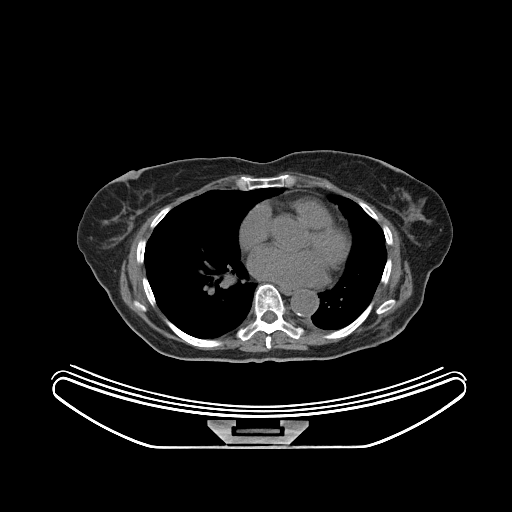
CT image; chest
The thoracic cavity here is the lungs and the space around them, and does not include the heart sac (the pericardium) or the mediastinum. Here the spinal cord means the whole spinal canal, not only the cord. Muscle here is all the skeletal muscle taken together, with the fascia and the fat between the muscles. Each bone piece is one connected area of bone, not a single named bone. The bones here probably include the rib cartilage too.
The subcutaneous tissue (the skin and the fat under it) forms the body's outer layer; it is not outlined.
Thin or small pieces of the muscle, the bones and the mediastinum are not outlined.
Outlines (x, y in pixels):
bones 1: [[266,283],[272,284],[277,289],[295,324],[300,325],[304,329],[304,332],[298,338],[290,337],[279,329],[273,331],[270,334],[270,349],[267,348],[265,343],[267,334],[262,330],[256,331],[246,340],[242,340],[235,335],[248,317],[253,305],[256,288]]; inner edge: [[267,311],[271,311],[272,312],[273,312],[275,314],[275,315],[276,316],[276,318],[273,321],[272,321],[271,322],[267,322],[266,321],[265,321],[262,318],[262,317],[263,316],[263,315]]
bones 2: [[283,174],[293,175],[296,177],[297,182],[295,185],[292,186],[283,186],[282,187],[272,186],[271,187],[263,187],[262,188],[253,188],[249,190],[242,190],[237,188],[235,185],[235,180],[242,175],[251,176],[252,177],[272,177],[273,176],[277,176]]
bones 3: [[165,317],[166,317],[179,329],[191,336],[193,336],[197,338],[200,338],[201,339],[219,339],[221,340],[223,342],[223,343],[221,345],[212,346],[211,347],[200,347],[199,346],[193,346],[189,344],[182,338],[178,336],[167,325],[164,320]]
bones 4: [[372,300],[373,301],[373,306],[369,314],[367,317],[350,334],[347,336],[345,336],[344,337],[340,337],[339,338],[325,338],[323,337],[323,335],[327,334],[334,330],[337,330],[338,329],[343,328],[355,320],[368,306]]
bones 5: [[144,276],[146,277],[149,283],[149,285],[151,288],[151,290],[153,293],[153,295],[154,296],[154,298],[156,302],[156,305],[155,306],[152,306],[150,304],[146,296],[146,294],[145,293],[145,291],[143,287],[143,283],[142,282],[142,278]]
bones 6: [[168,205],[170,205],[171,206],[171,207],[172,208],[163,217],[163,218],[154,227],[154,228],[153,229],[152,229],[150,227],[150,224],[151,223],[151,222],[152,221],[152,220],[155,217],[155,216],[164,207],[165,207],[166,206],[167,206]]
bones 7: [[143,238],[144,239],[146,239],[146,243],[145,244],[145,249],[144,250],[144,254],[143,255],[143,263],[141,264],[140,263],[138,263],[137,261],[137,259],[136,258],[136,251],[137,250],[137,245],[138,244],[138,242],[141,239]]
bones 8: [[387,258],[390,258],[391,259],[391,270],[390,271],[390,274],[389,275],[389,278],[388,279],[388,281],[387,283],[386,284],[383,284],[380,282],[380,280],[381,279],[381,277],[383,273],[383,270],[384,269],[384,267],[385,266],[385,264],[386,263]]
bones 9: [[389,299],[394,299],[395,300],[395,303],[394,304],[394,305],[389,310],[388,310],[385,312],[383,312],[380,314],[377,314],[376,313],[376,310],[377,309],[377,308],[382,303],[383,303],[385,301],[386,301]]
bones 10: [[359,200],[361,200],[362,201],[363,201],[365,203],[366,203],[374,211],[374,212],[377,215],[377,216],[378,217],[378,220],[377,221],[376,220],[375,220],[372,217],[371,217],[357,203],[357,202]]
bones 11: [[383,225],[386,225],[389,228],[389,229],[391,232],[391,235],[392,236],[392,240],[393,241],[393,242],[391,245],[387,245],[386,244],[386,241],[385,240],[385,236],[384,235],[384,233],[383,232],[383,230],[382,229],[382,226]]
bones 12: [[135,300],[136,300],[137,301],[138,301],[140,303],[141,303],[146,308],[146,310],[145,311],[143,311],[142,310],[141,310],[140,309],[139,309],[138,308],[137,308],[134,305],[134,301]]
pericardium: [[292,192],[313,192],[319,194],[335,205],[347,222],[351,234],[350,249],[341,273],[334,283],[330,286],[323,288],[296,286],[289,283],[280,283],[271,279],[256,277],[250,273],[242,259],[238,235],[240,224],[246,214],[256,204],[264,200],[278,198]]
muscle 1: [[285,171],[327,179],[372,204],[398,232],[400,255],[408,262],[413,288],[408,299],[387,318],[385,324],[379,323],[375,329],[351,334],[373,309],[373,297],[378,285],[386,285],[389,281],[392,259],[387,256],[386,245],[391,246],[394,242],[390,228],[386,224],[381,226],[378,223],[378,215],[363,200],[359,199],[356,202],[330,190],[331,184],[327,181],[316,181],[317,185],[296,185],[298,179],[295,175],[278,174]] with a hole at [[389,299],[394,299],[395,300],[395,303],[394,304],[394,305],[389,310],[388,310],[385,312],[383,312],[380,314],[377,314],[376,313],[376,310],[377,309],[377,308],[382,303],[383,303],[385,301],[386,301]]
muscle 2: [[161,207],[149,224],[152,231],[147,240],[143,237],[137,242],[135,258],[144,266],[145,275],[141,282],[149,304],[152,307],[157,305],[165,316],[166,325],[188,344],[167,338],[152,329],[124,303],[119,291],[121,266],[128,256],[132,239],[147,218]], around a hole outlined by [[135,300],[136,300],[137,301],[138,301],[140,303],[141,303],[146,308],[146,310],[145,311],[143,311],[142,310],[141,310],[140,309],[139,309],[138,308],[137,308],[134,305],[134,301]]
muscle 3: [[304,327],[308,328],[314,327],[321,330],[331,331],[322,335],[322,337],[325,339],[344,338],[336,342],[332,342],[328,344],[311,345],[305,350],[282,348],[271,349],[272,347],[271,334],[273,332],[279,330],[284,332],[290,338],[298,339],[305,332]]
muscle 4: [[235,330],[236,330],[234,333],[235,337],[242,341],[250,339],[258,331],[264,332],[266,334],[264,338],[264,343],[266,348],[269,350],[267,351],[250,352],[243,351],[238,348],[199,349],[195,347],[211,348],[221,346],[224,342],[221,339],[216,338]]
muscle 5: [[236,174],[248,174],[250,175],[242,174],[236,178],[234,180],[234,185],[236,188],[215,188],[214,189],[210,189],[198,195],[191,197],[181,202],[174,207],[172,207],[170,204],[164,206],[176,198],[198,189],[203,185],[213,180],[229,175],[235,175]]
mediastinum 1: [[248,271],[256,278],[271,280],[280,284],[289,284],[296,287],[323,289],[330,287],[333,284],[334,285],[331,288],[318,293],[319,304],[310,319],[296,321],[290,315],[290,312],[286,307],[278,289],[269,282],[262,283],[257,286],[256,283],[250,279]]
mediastinum 2: [[293,186],[317,186],[318,187],[321,187],[327,189],[336,194],[338,194],[337,195],[330,195],[328,197],[330,201],[326,199],[319,193],[316,193],[313,191],[292,191],[289,193],[286,193],[278,197],[272,197],[281,194],[284,191],[283,187],[292,187]]
thoracic cavity 1: [[272,187],[282,188],[283,191],[256,203],[245,214],[238,228],[240,260],[249,279],[256,285],[252,305],[246,319],[237,329],[215,338],[201,338],[185,332],[160,309],[146,276],[144,255],[147,241],[153,230],[173,208],[207,191],[215,189],[249,191]]
thoracic cavity 2: [[338,195],[355,202],[381,227],[387,257],[379,283],[367,306],[355,319],[345,326],[327,330],[314,326],[304,326],[298,322],[311,319],[320,304],[319,293],[331,289],[338,281],[343,273],[351,249],[352,234],[347,219],[338,206],[329,198],[330,196]]
torso: [[313,149],[341,150],[383,160],[428,184],[445,203],[453,227],[449,250],[430,273],[423,302],[401,332],[375,347],[332,359],[232,363],[190,361],[164,355],[124,322],[76,243],[83,212],[102,186],[130,170],[178,159],[235,156],[268,162],[294,151]]
spinal cord: [[267,311],[271,311],[272,312],[273,312],[275,314],[275,315],[276,316],[276,318],[273,321],[272,321],[271,322],[267,322],[266,321],[265,321],[262,318],[262,317],[263,316],[263,315]]